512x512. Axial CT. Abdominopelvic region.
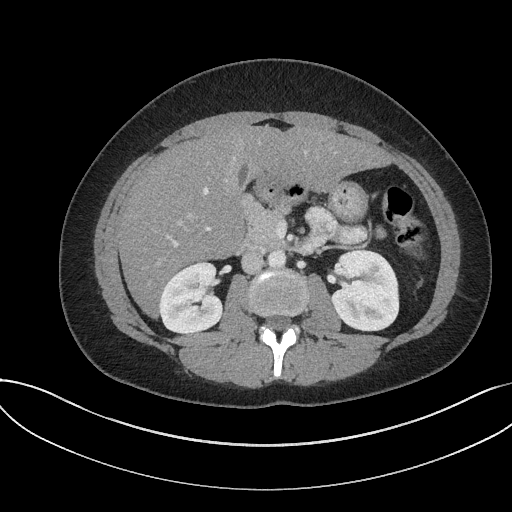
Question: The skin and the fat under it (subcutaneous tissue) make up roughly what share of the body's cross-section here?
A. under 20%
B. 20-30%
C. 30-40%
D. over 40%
Answer: C. 30-40%
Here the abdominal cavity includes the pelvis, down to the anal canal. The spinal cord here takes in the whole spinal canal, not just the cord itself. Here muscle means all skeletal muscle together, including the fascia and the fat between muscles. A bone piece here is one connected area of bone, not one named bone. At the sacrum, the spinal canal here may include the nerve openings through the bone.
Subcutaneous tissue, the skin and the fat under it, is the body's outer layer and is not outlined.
muscle: 247,388 273,382 320,385 344,379 366,370 394,347 428,334 446,316 460,265 460,238 451,205 417,160 364,127 297,110 244,110 205,117 175,130 135,159 101,209 93,239 94,271 116,327 161,350 185,371, around a hole outlined by 276,378 300,331 294,319 308,301 309,273 324,280 341,331 392,337 429,306 440,248 421,192 380,144 341,129 267,119 184,140 142,170 128,196 118,261 138,313 166,337 217,329 231,277 245,275
spinal cord: 275,331 283,331 284,330 285,330 291,324 291,318 289,316 284,316 283,315 279,315 278,314 275,314 274,315 271,315 270,316 268,316 266,318 266,324 268,326 268,327 269,327 271,329 272,329
bones: 276,378 281,374 284,352 289,346 296,342 300,331 294,319 305,309 309,297 305,279 291,269 287,268 263,271 254,277 251,281 248,293 249,303 253,311 263,320 258,328 258,337 272,349 274,356 273,374, around a hole outlined by 275,331 283,331 284,330 285,330 291,324 291,318 289,316 284,316 283,315 279,315 278,314 275,314 274,315 271,315 270,316 268,316 266,318 266,324 268,326 268,327 269,327 271,329 272,329
torso: 239,409 329,405 417,382 463,352 479,327 490,295 487,223 455,160 391,96 351,73 318,62 277,57 240,60 170,86 135,112 101,148 72,195 61,229 60,302 68,329 85,357 105,375 137,389 188,403
abdominal cavity: 166,337 217,329 235,273 250,282 265,269 284,267 305,278 311,272 322,277 341,331 389,337 406,331 429,306 440,259 425,199 380,144 341,129 267,119 220,126 180,142 134,180 118,248 130,300 146,323